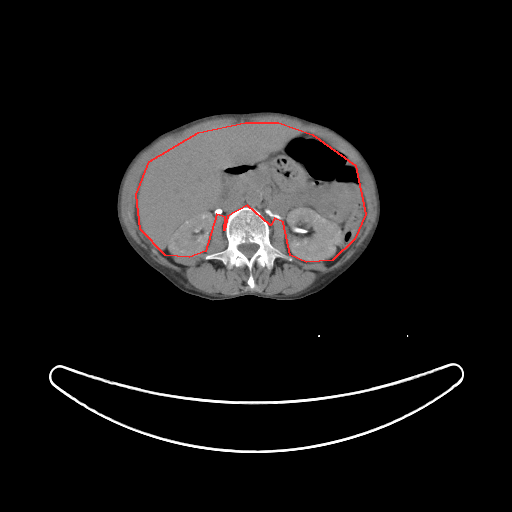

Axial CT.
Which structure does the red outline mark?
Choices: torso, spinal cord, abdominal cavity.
red: abdominal cavity.
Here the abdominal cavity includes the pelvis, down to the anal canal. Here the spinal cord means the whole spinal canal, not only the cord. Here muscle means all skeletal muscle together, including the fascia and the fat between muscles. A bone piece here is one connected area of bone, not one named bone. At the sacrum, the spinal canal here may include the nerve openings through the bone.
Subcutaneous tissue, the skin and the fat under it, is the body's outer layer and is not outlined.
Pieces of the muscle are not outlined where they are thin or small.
The abdominal cavity is outlined by 245 122; 278 122; 312 134; 355 165; 365 214; 354 239; 332 260; 306 262; 290 255; 283 222; 274 218; 270 225; 247 205; 227 216; 224 230; 225 217; 216 214; 205 251; 189 257; 165 255; 140 229; 136 194; 149 161; 198 132. The torso is outlined by 260 110; 288 112; 319 122; 342 134; 360 150; 375 175; 379 190; 381 209; 376 231; 364 252; 346 271; 320 291; 300 299; 278 300; 244 295; 209 300; 185 293; 148 265; 125 239; 116 213; 122 174; 138 150; 167 130; 210 114. The bones are outlined by 244 206; 253 207; 264 216; 270 228; 270 243; 292 258; 288 260; 277 257; 271 269; 255 263; 252 267; 255 284; 253 289; 247 283; 249 271; 246 266; 239 265; 228 269; 220 260; 205 259; 206 255; 227 247; 226 220; 232 212; inner edge: 246 243; 253 243; 254 244; 256 244; 258 246; 258 247; 257 248; 257 249; 255 251; 255 252; 250 257; 247 257; 242 252; 241 252; 239 250; 239 245; 240 245; 241 244; 245 244. The spinal cord is outlined by 246 243; 253 243; 254 244; 256 244; 258 246; 258 247; 257 248; 257 249; 255 251; 255 252; 250 257; 247 257; 242 252; 241 252; 239 250; 239 245; 240 245; 241 244; 245 244. The muscle appears in 2 outlined pieces: piece 1: 257 115; 280 115; 293 118; 301 121; 303 123; 322 128; 334 134; 349 145; 360 157; 367 168; 372 179; 375 192; 375 197; 376 198; 376 215; 375 219; 372 227; 366 237; 354 253; 343 264; 339 267; 323 274; 309 287; 300 292; 289 295; 273 295; 272 294; 266 294; 255 291; 244 291; 243 292; 242 291; 237 294; 232 294; 231 295; 217 295; 216 294; 206 293; 200 291; 190 285; 185 278; 182 277; 176 272; 156 262; 149 255; 148 252; 133 239; 124 224; 121 214; 121 194; 122 193; 123 184; 127 173; 135 160; 145 150; 163 137; 181 131; 194 124; 214 118; 218 118; 219 117; 246 117; 247 116; 256 116; inner edge: 245 122; 278 122; 331 143; 355 165; 365 200; 357 234; 332 260; 277 257; 271 269; 255 263; 253 289; 246 266; 228 269; 205 259; 227 247; 223 214; 212 221; 205 251; 189 257; 159 251; 135 216; 140 180; 159 152; 208 128; piece 2: 274 219; 276 219; 277 220; 281 221; 283 224; 283 236; 284 237; 284 243; 287 250; 287 253; 289 254; 287 254; 283 252; 280 249; 274 246; 271 243; 271 239; 270 238; 270 236; 271 235; 271 228; 270 226; 272 223; 272 221.